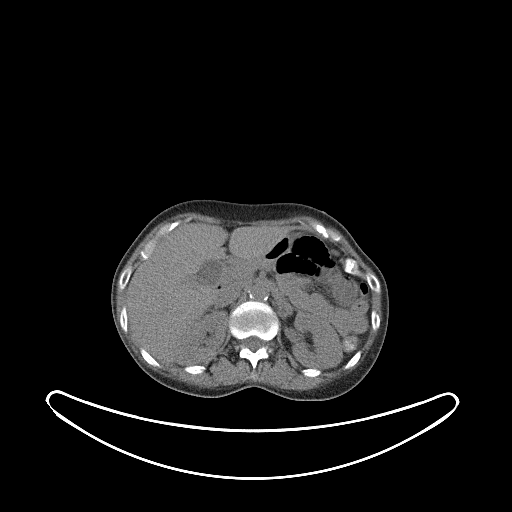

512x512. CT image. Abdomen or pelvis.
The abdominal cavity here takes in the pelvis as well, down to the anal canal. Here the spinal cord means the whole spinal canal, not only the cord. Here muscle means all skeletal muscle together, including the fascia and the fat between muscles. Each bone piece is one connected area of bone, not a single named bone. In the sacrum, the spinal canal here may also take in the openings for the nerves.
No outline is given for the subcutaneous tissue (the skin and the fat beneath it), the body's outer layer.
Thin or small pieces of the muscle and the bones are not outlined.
{"muscle":[[[228,326],[231,335],[238,342],[235,346],[238,357],[246,359],[253,370],[260,360],[269,357],[272,351],[269,342],[277,335],[280,329],[279,342],[290,356],[304,368],[300,371],[303,375],[311,378],[343,365],[342,368],[344,370],[352,368],[361,357],[362,351],[360,348],[366,340],[370,327],[373,331],[379,329],[379,332],[359,366],[339,379],[316,388],[302,391],[288,390],[258,381],[245,381],[217,388],[206,388],[171,379],[148,367],[134,351],[124,333],[126,334],[128,330],[132,338],[142,346],[139,348],[139,352],[149,365],[157,368],[160,368],[162,366],[161,364],[173,368],[183,368],[189,374],[199,375],[206,369],[203,364],[200,364],[216,354],[226,341]],[[184,212],[197,212],[217,218],[241,221],[281,219],[296,215],[311,216],[338,230],[374,273],[366,271],[364,273],[365,281],[362,279],[360,277],[362,271],[358,262],[350,256],[347,256],[344,259],[344,266],[342,264],[344,253],[339,247],[327,239],[333,242],[338,242],[341,239],[341,237],[337,233],[328,229],[322,223],[317,221],[313,221],[310,224],[320,235],[312,231],[299,230],[294,228],[283,229],[279,227],[262,227],[247,224],[226,225],[211,223],[197,219],[192,219],[179,226],[181,223],[179,219],[163,224],[158,229],[155,235],[139,251],[138,253],[141,261],[133,269],[133,267],[130,264],[123,269],[126,262],[136,247],[155,226],[167,218],[178,213]],[[117,283],[117,289],[119,291],[122,291],[123,290],[124,290],[126,287],[126,305],[123,305],[121,307],[121,308],[120,309],[120,313],[119,314],[119,316],[118,317],[118,319],[118,317],[117,316],[117,312],[116,311],[116,289],[117,288]],[[371,291],[372,291],[373,292],[374,292],[377,294],[379,294],[381,292],[381,294],[382,295],[382,299],[381,300],[381,308],[382,309],[382,318],[381,319],[381,321],[381,318],[380,317],[379,314],[373,308],[372,308],[372,294],[371,293]]],"spinal_cord":[[[251,336],[255,336],[259,338],[261,340],[264,341],[265,343],[264,345],[258,348],[255,351],[252,351],[249,348],[247,347],[245,347],[243,345],[242,343],[242,341],[244,339],[248,337],[250,337]]],"abdominal_cavity":[[[192,220],[308,231],[339,248],[344,269],[359,276],[371,290],[370,326],[359,349],[334,369],[307,369],[280,342],[280,321],[272,307],[249,299],[229,313],[226,339],[208,359],[183,367],[160,363],[129,331],[126,286],[133,270],[149,257],[158,240]]],"bones":[{"outer":[[249,300],[259,301],[269,305],[276,314],[279,321],[279,330],[276,335],[268,342],[268,345],[271,349],[268,357],[260,359],[257,362],[254,369],[251,363],[246,358],[239,357],[238,350],[236,348],[239,342],[232,335],[228,325],[230,313],[238,305]],"hole":[[251,336],[255,336],[259,338],[261,340],[264,341],[265,343],[264,345],[258,348],[255,351],[252,351],[249,348],[247,347],[245,347],[243,345],[242,343],[242,341],[244,339],[248,337],[250,337]]},[[178,220],[180,221],[180,223],[177,226],[170,231],[168,231],[162,235],[161,237],[157,240],[157,242],[155,244],[148,257],[146,259],[141,259],[141,257],[139,253],[140,251],[144,247],[144,246],[156,235],[159,229],[163,225],[167,223],[170,223]],[[313,222],[317,222],[318,223],[320,223],[321,224],[322,224],[328,230],[329,230],[330,231],[332,231],[336,234],[337,234],[340,237],[340,239],[338,241],[333,241],[329,238],[325,238],[312,226],[312,225],[311,224]],[[366,272],[370,272],[371,273],[374,274],[377,277],[377,278],[379,281],[379,283],[380,284],[380,286],[381,287],[381,291],[379,293],[377,293],[376,292],[373,291],[369,287],[369,286],[368,285],[368,284],[366,281],[366,279],[365,278],[365,273]],[[129,265],[130,265],[132,267],[132,272],[129,277],[129,279],[128,280],[128,281],[127,282],[127,283],[126,284],[124,289],[123,289],[122,290],[119,290],[118,289],[118,279],[119,278],[119,276],[120,275],[121,272],[127,266],[128,266]],[[347,257],[350,257],[351,258],[352,258],[353,259],[354,259],[357,262],[357,263],[359,266],[359,268],[361,271],[361,274],[360,275],[357,275],[356,274],[353,274],[352,273],[350,273],[349,272],[348,272],[345,269],[345,259]],[[123,306],[126,306],[126,311],[127,312],[127,323],[128,324],[127,325],[127,328],[128,329],[127,330],[127,332],[126,333],[123,332],[123,331],[121,329],[121,328],[120,327],[120,324],[119,323],[119,317],[120,316],[120,314],[121,313],[121,309]],[[141,347],[143,347],[160,364],[160,365],[161,366],[160,367],[157,367],[156,366],[154,366],[153,365],[151,365],[150,364],[149,364],[143,358],[143,357],[142,356],[142,355],[141,354],[141,353],[140,352],[140,348]],[[188,365],[203,365],[205,367],[205,369],[201,373],[200,373],[199,374],[192,374],[191,373],[189,373],[188,372],[187,372],[186,371],[185,371],[184,370],[184,367],[186,367]],[[358,350],[360,350],[361,351],[361,354],[360,355],[360,357],[359,358],[359,359],[358,360],[358,361],[352,367],[350,367],[347,369],[344,369],[343,368],[343,367],[344,366],[344,365],[350,359],[350,358],[351,358],[352,357],[352,356]],[[372,309],[373,309],[378,314],[378,315],[379,316],[379,317],[380,318],[380,325],[379,326],[379,328],[378,328],[376,330],[373,330],[373,329],[372,328],[372,326],[371,325],[371,311],[372,310]],[[312,368],[315,368],[315,369],[318,372],[321,372],[321,373],[320,374],[319,374],[318,375],[317,375],[316,376],[314,376],[313,377],[311,377],[310,376],[306,376],[305,375],[304,375],[304,374],[301,371],[303,369],[306,369],[307,370],[310,370]]],"torso":[[[191,199],[302,203],[325,211],[349,231],[382,272],[389,296],[389,317],[383,345],[373,366],[355,387],[340,396],[321,401],[291,400],[256,387],[222,397],[204,398],[170,389],[137,365],[114,325],[110,304],[112,278],[123,254],[143,227],[162,210]]]}